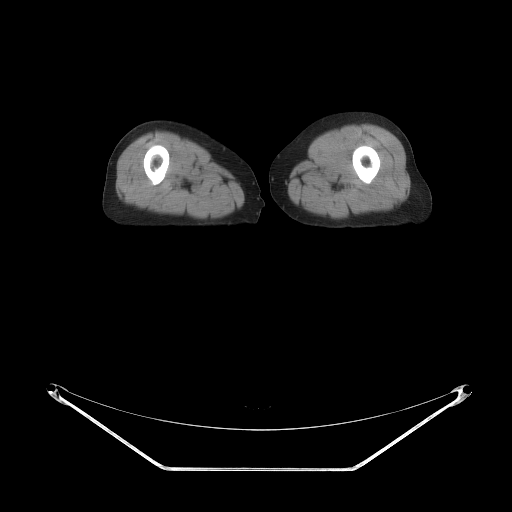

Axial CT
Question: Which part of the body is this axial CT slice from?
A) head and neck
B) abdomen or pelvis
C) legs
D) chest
Answer: C) legs
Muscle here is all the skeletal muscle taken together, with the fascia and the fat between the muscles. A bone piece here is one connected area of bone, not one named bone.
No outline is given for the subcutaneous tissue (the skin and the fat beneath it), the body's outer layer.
The left leg is outlined by [[344,110],[368,110],[382,114],[393,121],[406,135],[411,144],[417,168],[426,181],[432,196],[432,212],[429,219],[424,224],[378,227],[372,229],[326,229],[312,227],[294,221],[274,202],[269,190],[268,173],[276,154],[312,121],[326,114]]. The right leg is outlined by [[155,118],[175,119],[192,124],[231,148],[248,163],[254,172],[260,187],[260,195],[265,202],[265,205],[256,224],[243,224],[229,227],[124,227],[110,221],[104,215],[102,211],[102,193],[105,181],[106,167],[115,145],[121,137],[132,127],[143,121]]. The muscle appears in 2 outlined pieces: piece 1: [[361,122],[368,122],[384,127],[395,135],[401,142],[411,172],[411,188],[410,195],[407,201],[399,209],[381,215],[349,220],[332,220],[329,218],[310,215],[294,206],[290,201],[286,191],[286,179],[292,164],[299,155],[307,145],[322,132],[345,123]]; inner edge: [[362,144],[370,145],[373,148],[374,148],[377,151],[378,155],[379,156],[379,158],[380,159],[380,167],[379,168],[379,170],[376,176],[369,184],[366,184],[364,183],[357,176],[353,168],[353,166],[352,165],[352,153],[354,149],[356,147]]; piece 2: [[156,129],[168,130],[187,136],[210,150],[227,164],[232,169],[243,190],[245,198],[243,207],[235,213],[220,220],[199,221],[184,217],[159,215],[146,211],[140,211],[132,207],[128,207],[120,202],[115,192],[116,163],[118,157],[134,139],[146,132]] with a hole at [[151,144],[160,144],[164,146],[167,149],[169,153],[169,165],[168,166],[168,168],[167,169],[166,174],[163,180],[160,183],[156,185],[153,185],[151,183],[150,180],[145,174],[145,172],[143,168],[143,158],[144,157],[144,155],[146,151]]. The bones appear in 2 outlined pieces: piece 1: [[362,144],[370,145],[373,148],[374,148],[377,151],[378,155],[379,156],[379,158],[380,159],[380,167],[379,168],[379,170],[376,176],[369,184],[366,184],[364,183],[357,176],[353,168],[353,166],[352,165],[352,153],[354,149],[356,147]]; piece 2: [[151,144],[160,144],[164,146],[167,149],[169,153],[169,165],[168,166],[168,168],[167,169],[166,174],[163,180],[160,183],[156,185],[153,185],[151,183],[150,180],[145,174],[145,172],[143,168],[143,158],[144,157],[144,155],[146,151]].